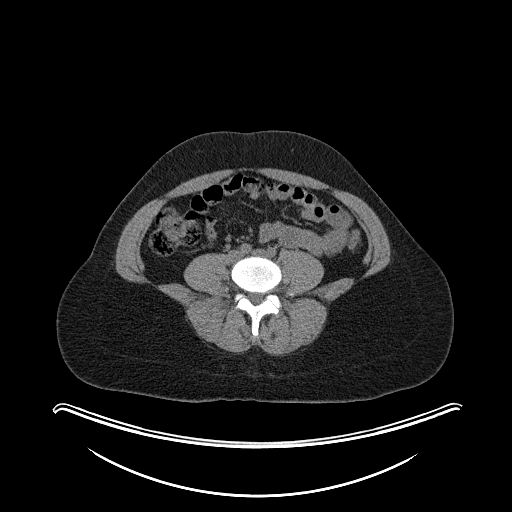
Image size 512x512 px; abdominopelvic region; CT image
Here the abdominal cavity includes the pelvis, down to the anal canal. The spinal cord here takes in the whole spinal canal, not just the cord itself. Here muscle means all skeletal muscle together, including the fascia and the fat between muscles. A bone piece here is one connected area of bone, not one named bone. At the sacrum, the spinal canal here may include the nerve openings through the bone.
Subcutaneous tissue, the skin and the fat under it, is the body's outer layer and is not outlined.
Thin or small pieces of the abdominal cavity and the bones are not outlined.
The abdominal cavity is outlined by 240 171; 323 190; 349 208; 367 239; 356 275; 320 284; 325 269; 318 259; 301 250; 281 249; 276 262; 261 255; 248 255; 234 262; 229 254; 202 253; 187 264; 182 283; 157 283; 148 277; 140 249; 160 208; 172 198; 198 191. The torso is outlined by 219 130; 290 130; 313 136; 340 152; 375 190; 436 261; 449 284; 454 308; 453 337; 447 358; 433 377; 411 388; 351 402; 186 402; 95 387; 68 369; 57 344; 57 306; 66 284; 90 254; 102 226; 127 192; 166 151; 194 135. The spinal cord is outlined by 248 293; 260 293; 262 295; 263 295; 263 299; 262 300; 262 301; 260 303; 259 303; 258 304; 253 304; 250 301; 250 300; 248 298; 248 297; 247 296; 248 295. The muscle is outlined by 238 167; 270 167; 297 172; 361 198; 381 221; 390 244; 389 263; 329 305; 323 329; 313 342; 284 355; 269 354; 258 346; 232 353; 204 341; 186 319; 179 303; 154 288; 124 279; 115 269; 115 253; 121 232; 144 204; 196 176 with a hole at 240 171; 329 193; 349 208; 367 239; 356 275; 322 284; 325 269; 318 259; 281 249; 281 280; 273 290; 281 307; 260 319; 257 336; 251 317; 235 307; 239 288; 229 254; 197 255; 183 270; 182 283; 157 283; 140 251; 170 199. The bones are outlined by 248 256; 261 256; 270 259; 275 262; 281 270; 281 280; 273 290; 280 299; 281 307; 277 314; 265 314; 260 319; 257 336; 253 336; 251 332; 251 317; 243 310; 235 307; 236 303; 234 301; 234 296; 239 288; 231 278; 233 264, around a hole outlined by 248 293; 260 293; 262 295; 263 295; 263 299; 262 300; 262 301; 260 303; 259 303; 258 304; 253 304; 250 301; 250 300; 248 298; 248 297; 247 296; 248 295.